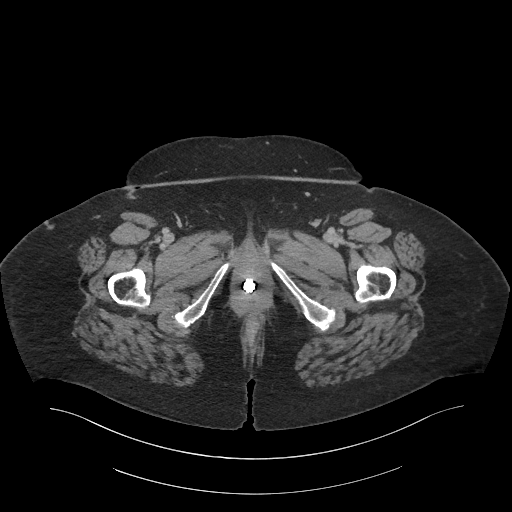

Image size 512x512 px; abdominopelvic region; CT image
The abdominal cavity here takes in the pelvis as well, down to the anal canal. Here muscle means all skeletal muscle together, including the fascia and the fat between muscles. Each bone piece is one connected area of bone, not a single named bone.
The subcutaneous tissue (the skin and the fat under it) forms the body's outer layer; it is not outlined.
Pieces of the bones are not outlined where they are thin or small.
The abdominal cavity is outlined by 248 262; 251 262; 259 266; 267 274; 271 286; 269 302; 265 312; 263 322; 259 328; 260 329; 259 335; 257 338; 257 343; 252 353; 249 351; 247 346; 247 331; 244 324; 242 323; 242 320; 237 311; 233 299; 236 273; 240 267. The muscle is outlined by 357 207; 373 207; 413 232; 426 257; 426 285; 419 298; 424 327; 405 355; 369 375; 325 387; 305 385; 293 367; 309 330; 276 292; 258 369; 248 370; 239 330; 224 305; 227 277; 209 318; 191 335; 205 367; 192 385; 150 382; 100 361; 71 340; 84 302; 76 287; 75 254; 83 239; 124 210; 140 209; 184 235; 225 229; 241 239; 249 230; 257 235; 272 227; 313 235; 326 216, around holes outlined by 248 262; 251 262; 259 266; 267 274; 271 286; 269 302; 265 312; 263 322; 259 328; 260 329; 259 335; 257 338; 257 343; 252 353; 249 351; 247 346; 247 331; 244 324; 242 323; 242 320; 237 311; 233 299; 236 273; 240 267 and by 135 267; 140 268; 144 272; 145 277; 146 278; 145 290; 146 292; 151 296; 150 303; 144 308; 138 308; 137 307; 126 306; 125 305; 120 305; 118 304; 111 297; 107 288; 107 280; 112 274; 117 272; 120 272; 121 271; 129 270 and by 363 264; 370 264; 374 266; 387 266; 392 269; 395 272; 396 274; 396 285; 393 292; 389 298; 384 300; 368 301; 364 303; 360 303; 356 300; 354 296; 354 292; 358 287; 358 283; 356 278; 356 271; 357 269 and by 269 260; 274 261; 283 268; 283 269; 293 280; 296 285; 309 297; 320 302; 329 308; 334 308; 335 309; 336 312; 335 319; 334 321; 331 323; 328 329; 323 331; 306 319; 302 312; 301 307; 298 303; 298 301; 272 269; 268 263 and by 228 261; 230 262; 231 264; 216 287; 203 315; 202 315; 188 327; 186 327; 185 328; 178 325; 172 316; 176 312; 183 309; 190 304; 193 301; 193 300; 196 299; 207 286; 211 278; 214 275; 215 272; 218 269; 218 268; 222 264. The bones appear in 4 outlined pieces: piece 1: 363 264; 370 264; 374 266; 387 266; 392 269; 395 272; 396 274; 396 285; 393 292; 389 298; 384 300; 368 301; 364 303; 360 303; 356 300; 354 296; 354 292; 358 287; 358 283; 356 278; 356 271; 357 269; piece 2: 135 267; 140 268; 144 272; 145 277; 146 278; 145 290; 146 292; 151 296; 150 303; 144 308; 138 308; 137 307; 126 306; 125 305; 120 305; 118 304; 111 297; 107 288; 107 280; 112 274; 117 272; 120 272; 121 271; 129 270; piece 3: 269 260; 274 261; 283 268; 283 269; 293 280; 296 285; 309 297; 320 302; 329 308; 334 308; 335 309; 336 312; 335 319; 334 321; 331 323; 328 329; 323 331; 306 319; 302 312; 301 307; 298 303; 298 301; 272 269; 268 263; piece 4: 228 261; 230 262; 231 264; 216 287; 203 315; 202 315; 188 327; 186 327; 185 328; 178 325; 172 316; 176 312; 183 309; 190 304; 193 301; 193 300; 196 299; 207 286; 211 278; 214 275; 215 272; 218 269; 218 268; 222 264. The torso is outlined by 262 134; 335 148; 361 173; 363 185; 437 209; 488 251; 509 290; 482 372; 444 377; 338 420; 258 431; 252 379; 246 420; 234 430; 157 417; 58 379; 34 381; 4 303; 0 262; 10 249; 46 219; 122 186; 131 165; 161 144.